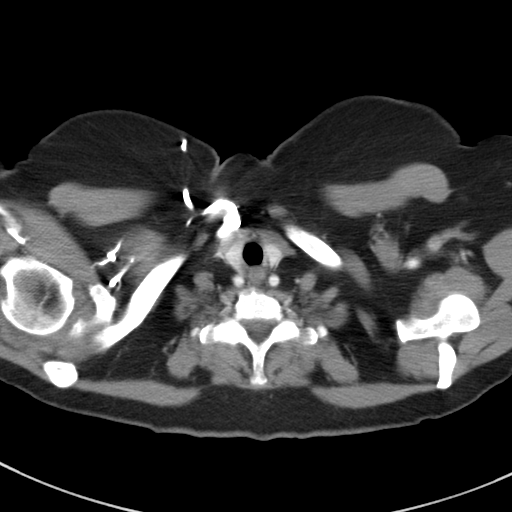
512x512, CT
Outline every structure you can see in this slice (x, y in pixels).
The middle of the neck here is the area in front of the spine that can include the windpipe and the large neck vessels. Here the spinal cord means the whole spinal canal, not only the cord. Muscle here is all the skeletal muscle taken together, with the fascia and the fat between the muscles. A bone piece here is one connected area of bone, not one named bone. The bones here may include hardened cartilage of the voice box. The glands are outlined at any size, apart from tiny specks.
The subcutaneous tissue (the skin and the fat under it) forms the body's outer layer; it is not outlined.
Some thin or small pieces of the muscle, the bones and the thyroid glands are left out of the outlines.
The thyroid glands appear in 2 outlined pieces: piece 1: 243 236; 246 239; 245 240; 245 242; 243 244; 243 246; 241 250; 241 257; 243 261; 243 265; 240 269; 236 269; 232 267; 225 261; 224 259; 224 253; 223 252; 230 243; 231 243; 234 240; 236 239; 238 239; piece 2: 262 240; 265 242; 267 242; 268 243; 271 244; 274 247; 275 247; 276 248; 281 250; 281 251; 282 252; 282 257; 281 258; 280 261; 278 263; 278 264; 275 267; 268 267; 265 264; 265 251; 264 250; 264 246; 262 243. The middle of the neck is outlined by 246 234; 260 236; 264 264; 268 268; 275 268; 279 264; 283 257; 282 248; 287 252; 289 257; 277 286; 267 286; 264 290; 250 284; 238 287; 218 264; 215 255; 218 249; 223 253; 224 261; 232 268; 240 270; 243 267; 242 250. The spinal cord is outlined by 260 319; 262 319; 263 320; 273 320; 275 322; 275 324; 271 329; 268 335; 263 340; 259 342; 257 342; 255 341; 251 337; 250 337; 249 334; 247 332; 246 329; 242 324; 241 321; 243 320; 259 320. The right arm is outlined by 1 158; 5 164; 12 164; 21 159; 32 175; 65 225; 70 247; 70 252; 72 256; 73 265; 75 270; 74 311; 69 325; 45 348; 39 350; 35 353; 23 365; 18 365; 12 370; 3 382; 0 381; 0 161. The bones appear in 7 outlined pieces: piece 1: 248 286; 280 301; 291 296; 290 306; 303 319; 300 327; 321 322; 328 329; 311 345; 296 339; 274 343; 264 357; 267 381; 261 387; 250 383; 252 356; 243 344; 203 344; 190 335; 194 326; 217 323; 224 301; 234 302; 238 291; inner edge: 260 319; 262 319; 263 320; 273 320; 275 322; 275 324; 271 329; 268 335; 263 340; 259 342; 257 342; 255 341; 251 337; 250 337; 249 334; 247 332; 246 329; 242 324; 241 321; 243 320; 259 320; piece 2: 28 255; 31 255; 38 260; 59 270; 71 278; 73 282; 73 309; 65 324; 59 330; 50 334; 37 335; 23 331; 14 326; 5 317; 0 309; 0 296; 2 295; 5 287; 5 281; 0 276; 0 267; 10 256; piece 3: 180 252; 187 253; 187 258; 142 322; 108 349; 98 351; 92 343; 91 336; 100 326; 77 338; 68 335; 78 318; 89 320; 95 312; 95 303; 88 290; 89 284; 100 283; 114 296; 116 306; 113 320; 116 321; 150 270; 159 262; piece 4: 451 292; 461 292; 471 298; 477 306; 480 322; 476 328; 453 333; 447 339; 455 351; 456 362; 451 385; 440 390; 436 388; 439 339; 427 337; 402 343; 396 332; 395 320; 407 318; 411 314; 418 318; 429 317; 436 312; 439 301; piece 5: 286 224; 294 224; 295 225; 300 226; 302 228; 315 234; 327 244; 328 244; 340 256; 341 259; 343 261; 344 265; 341 269; 338 269; 337 270; 330 269; 322 265; 319 262; 316 261; 304 252; 286 236; 284 231; 284 226; piece 6: 51 359; 54 359; 55 360; 62 360; 63 361; 69 361; 70 362; 72 362; 74 364; 78 375; 77 376; 77 379; 76 381; 72 386; 68 388; 60 388; 54 385; 48 379; 43 369; 42 363; 47 360; 50 360; piece 7: 0 205; 1 205; 6 210; 7 210; 15 219; 17 223; 19 224; 20 226; 20 231; 19 233; 22 236; 24 237; 27 237; 27 240; 25 244; 21 244; 19 243; 5 230; 5 228; 4 227; 3 223; 1 221; 0 221. The left arm is outlined by 492 133; 503 133; 504 134; 511 135; 511 288; 495 273; 494 269; 490 265; 487 257; 484 254; 473 230; 473 225; 470 218; 470 213; 468 207; 468 188; 469 187; 469 179; 470 178; 470 168; 473 158; 475 144; 478 140; 484 136. The torso is outlined by 358 94; 425 102; 465 144; 476 141; 467 207; 483 254; 511 289; 510 377; 415 425; 265 441; 156 433; 56 408; 4 382; 75 311; 66 225; 22 159; 43 135; 77 113; 119 107; 185 129; 221 160; 237 151; 264 156; 324 107. The muscle is outlined by 416 161; 454 192; 413 222; 414 243; 460 221; 489 237; 511 225; 511 349; 453 384; 448 339; 481 322; 461 291; 394 320; 402 344; 438 339; 439 390; 367 408; 305 387; 231 386; 159 407; 69 388; 69 360; 41 363; 49 383; 0 358; 0 310; 46 336; 75 306; 72 278; 35 256; 0 266; 0 222; 28 240; 0 197; 77 180; 153 190; 171 208; 217 194; 312 210; 321 184 with holes at 246 234; 289 257; 279 284; 263 291; 280 301; 291 296; 300 327; 321 322; 328 329; 311 345; 274 343; 264 357; 261 387; 250 383; 252 356; 243 344; 203 344; 190 335; 194 326; 217 323; 224 301; 234 302; 243 288; 215 254 and at 180 252; 187 253; 187 258; 142 322; 108 349; 98 351; 92 343; 91 336; 100 326; 77 338; 68 335; 78 318; 89 320; 95 312; 95 303; 88 290; 89 284; 100 283; 114 296; 116 306; 113 320; 116 321; 150 270; 159 262 and at 286 224; 294 224; 295 225; 300 226; 302 228; 315 234; 327 244; 328 244; 340 256; 341 259; 343 261; 344 265; 341 269; 338 269; 337 270; 330 269; 322 265; 319 262; 316 261; 304 252; 286 236; 284 231; 284 226.